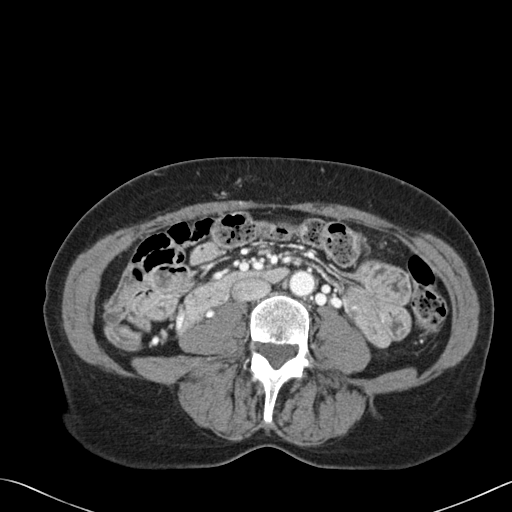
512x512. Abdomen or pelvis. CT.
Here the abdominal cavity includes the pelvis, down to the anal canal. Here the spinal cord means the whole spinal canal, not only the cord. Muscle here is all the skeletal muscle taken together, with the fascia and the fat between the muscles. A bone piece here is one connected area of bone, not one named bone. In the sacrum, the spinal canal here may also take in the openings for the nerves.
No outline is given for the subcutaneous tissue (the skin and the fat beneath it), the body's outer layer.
Outlined structures:
torso: (217, 156) (368, 167) (419, 187) (459, 219) (484, 260) (494, 297) (479, 414) (459, 444) (418, 465) (387, 471) (319, 468) (273, 447) (211, 468) (138, 470) (104, 460) (70, 436) (59, 417) (64, 395) (42, 313) (45, 280) (58, 248) (79, 218) (124, 182) (170, 163)
muscle: (232, 199) (252, 200) (258, 202) (272, 202) (284, 204) (313, 202) (314, 201) (326, 203) (337, 203) (352, 206) (361, 210) (376, 214) (405, 229) (428, 232) (439, 237) (449, 244) (461, 257) (465, 263) (471, 281) (477, 293) (479, 301) (479, 317) (478, 318) (479, 324) (477, 335) (471, 349) (463, 359) (456, 365) (446, 369) (440, 375) (424, 384) (399, 392) (391, 392) (377, 395) (374, 398) (371, 405) (369, 407) (368, 405) (367, 406) (361, 418) (355, 423) (354, 426) (344, 436) (331, 438) (317, 446) (305, 446) (304, 447) (298, 446) (283, 440) (273, 432) (271, 432) (268, 435) (262, 429) (257, 431) (251, 436) (240, 441) (230, 441) (221, 438) (215, 435) (210, 430) (198, 426) (181, 407) (177, 399) (176, 393) (174, 391) (171, 391) (167, 386) (145, 379) (120, 377) (118, 375) (105, 372) (97, 366) (84, 361) (79, 357) (70, 345) (62, 326) (61, 318) (62, 293) (65, 279) (70, 266) (77, 256) (89, 248) (101, 237) (132, 224) (140, 223) (145, 220) (151, 219) (158, 214) (163, 214) (165, 212) (174, 211) (184, 206) (196, 203) (209, 201) (224, 201), around a hole outlined by (251, 208) (401, 241) (450, 299) (437, 359) (421, 373) (354, 376) (372, 356) (364, 336) (319, 307) (315, 362) (282, 385) (269, 423) (263, 386) (243, 368) (244, 303) (229, 300) (184, 333) (185, 354) (134, 356) (131, 369) (112, 359) (93, 328) (110, 262) (155, 229)
spinal cord: (260, 343) (271, 343) (272, 344) (275, 344) (276, 345) (294, 345) (295, 346) (296, 346) (296, 353) (294, 356) (287, 359) (278, 368) (274, 368) (270, 364) (270, 363) (267, 359) (267, 358) (259, 352) (259, 351) (258, 350) (258, 348) (259, 347) (259, 344)
bones: (275, 294) (289, 296) (307, 309) (310, 317) (307, 345) (315, 362) (304, 370) (301, 378) (291, 378) (282, 385) (275, 400) (272, 421) (266, 423) (263, 420) (263, 386) (259, 381) (252, 380) (249, 366) (243, 368) (243, 364) (250, 356) (250, 312) (260, 301) with a hole at (260, 343) (271, 343) (272, 344) (275, 344) (276, 345) (294, 345) (295, 346) (296, 346) (296, 353) (294, 356) (287, 359) (278, 368) (274, 368) (270, 364) (270, 363) (267, 359) (267, 358) (259, 352) (259, 351) (258, 350) (258, 348) (259, 347) (259, 344)
abdominal cavity: (251, 208) (349, 220) (401, 241) (450, 299) (437, 359) (421, 373) (354, 376) (372, 356) (364, 336) (327, 306) (311, 324) (304, 304) (280, 293) (248, 323) (244, 303) (218, 307) (178, 339) (185, 354) (134, 356) (131, 369) (112, 359) (93, 328) (110, 262) (155, 229)